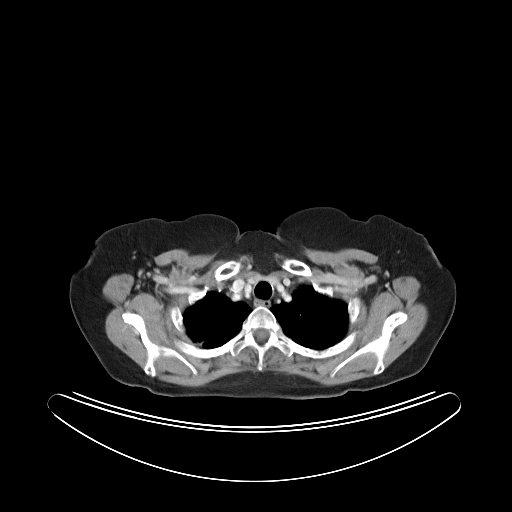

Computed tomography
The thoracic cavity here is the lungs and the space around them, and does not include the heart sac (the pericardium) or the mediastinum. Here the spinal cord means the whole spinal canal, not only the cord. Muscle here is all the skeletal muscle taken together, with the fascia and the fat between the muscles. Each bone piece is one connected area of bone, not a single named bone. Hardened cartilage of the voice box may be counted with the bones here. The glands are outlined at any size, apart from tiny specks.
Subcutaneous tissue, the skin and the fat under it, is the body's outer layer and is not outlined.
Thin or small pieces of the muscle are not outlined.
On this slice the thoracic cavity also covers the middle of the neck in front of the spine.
The spinal cord is outlined by 261,328 262,329 265,329 266,330 267,330 268,331 268,337 267,338 267,339 264,342 263,342 262,343 259,343 255,339 255,338 254,337 254,335 253,334 254,333 254,331 255,330 256,330 257,329 260,329. The muscle is outlined by 302,247 328,251 362,249 377,255 379,266 393,279 412,275 420,282 420,298 428,307 429,317 417,339 386,368 384,357 392,333 408,319 405,311 396,310 383,320 377,337 330,372 332,378 350,361 371,353 376,359 373,376 326,386 295,374 247,371 197,387 155,377 154,363 161,356 178,359 196,375 196,368 180,352 209,359 226,353 235,357 244,348 252,347 257,353 256,368 261,372 265,353 271,347 287,357 295,353 313,359 331,357 349,348 357,331 347,331 358,317 361,299 355,295 346,303 334,297 329,284 308,284 285,276 238,277 213,290 205,284 187,296 188,306 183,312 177,305 171,306 169,316 174,327 193,342 175,339 178,350 152,341 143,317 124,311 122,320 136,330 146,351 142,369 112,344 105,333 105,281 116,273 134,275 164,251 182,248 192,254 216,252 218,258 245,253 265,264 274,252 289,255; inner edges: 285,258 294,258 295,259 297,259 298,260 300,260 304,262 306,264 307,264 310,268 312,272 312,275 311,275 310,277 307,277 306,276 300,276 299,275 293,274 289,271 282,268 281,266 281,263, then 229,260 237,260 238,261 240,261 242,264 242,266 241,267 241,268 236,274 231,276 229,278 228,278 227,279 223,279 218,282 217,281 216,281 216,280 214,278 214,271 220,265 221,265 223,263 224,263. The bones appear in 9 outlined pieces: piece 1: 259,305 270,310 286,336 304,347 323,350 353,331 356,335 345,350 323,358 295,352 287,356 271,346 264,353 261,371 252,346 235,356 226,352 195,357 180,351 175,340 202,349 221,346 240,331, around a hole outlined by 261,328 262,329 265,329 266,330 267,330 268,331 268,337 267,338 267,339 264,342 263,342 262,343 259,343 255,339 255,338 254,337 254,335 253,334 254,333 254,331 255,330 256,330 257,329 260,329; piece 2: 396,311 405,312 407,314 407,319 396,326 391,333 389,344 383,357 385,367 384,370 377,375 373,374 377,359 373,353 368,352 350,360 331,377 330,374 337,365 359,348 377,338 381,334 384,320 390,314; piece 3: 126,311 140,315 144,321 148,338 155,344 170,347 178,351 195,368 197,371 196,374 178,358 161,355 156,358 153,363 156,372 155,376 151,377 147,375 143,370 147,359 147,351 137,330 123,320 122,314; piece 4: 285,258 294,258 295,259 297,259 298,260 300,260 304,262 306,264 307,264 310,268 312,272 312,275 311,275 310,277 307,277 306,276 300,276 299,275 293,274 289,271 282,268 281,266 281,263; piece 5: 229,260 237,260 238,261 240,261 242,264 242,266 241,267 241,268 236,274 231,276 229,278 228,278 227,279 223,279 218,282 217,281 216,281 216,280 214,278 214,271 220,265 221,265 223,263 224,263; piece 6: 355,296 357,296 360,299 360,304 359,305 359,312 357,315 357,317 356,318 355,321 351,325 349,325 349,317 348,316 348,311 347,310 347,302 349,300 349,299 350,298 351,298 352,297 354,297; piece 7: 173,306 177,306 179,308 179,309 182,312 182,316 183,317 183,324 184,325 184,327 185,328 185,333 184,334 181,333 175,327 175,326 174,325 174,324 173,323 173,322 171,319 171,317 170,316 170,308; piece 8: 205,285 206,285 208,287 208,290 206,292 205,295 201,299 200,299 199,300 197,300 193,304 192,304 191,305 189,305 188,304 188,296 190,294 191,294 192,293 194,293 198,290 200,290 201,289 202,289; piece 9: 311,283 312,283 313,284 318,284 319,285 322,285 323,286 326,286 327,285 329,285 330,286 331,286 333,289 333,293 334,294 333,297 330,297 325,294 322,294 321,293 316,291 314,289 314,288. The torso is outlined by 312,205 335,206 360,220 389,216 422,233 453,273 452,317 419,372 371,390 309,399 172,397 121,383 107,373 69,302 71,275 87,260 102,232 143,218 175,220 199,212 227,216 241,232 274,232 287,214. The thoracic cavity is outlined by 285,277 311,285 316,292 346,304 346,334 336,343 315,349 296,342 284,333 271,310 261,304 221,345 202,348 186,333 183,313 208,291 219,290 238,278 247,278 252,285 265,280 277,286 279,278. The thyroid glands are outlined by 255,275 264,275 265,276 275,276 279,279 279,281 278,282 277,285 275,285 265,279 261,279 256,283 255,283 254,284 252,284 251,283 249,283 249,282 248,281 248,278 249,278 252,276 254,276.